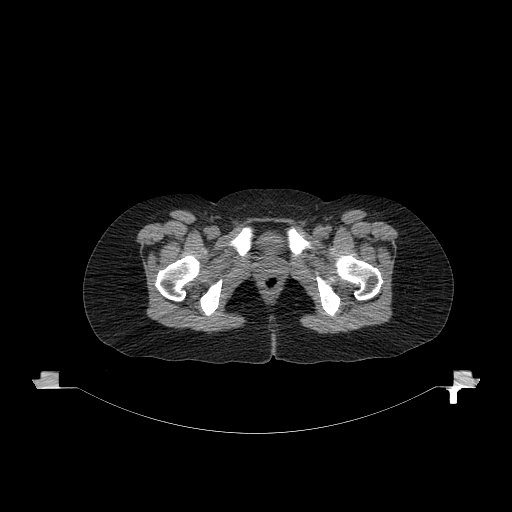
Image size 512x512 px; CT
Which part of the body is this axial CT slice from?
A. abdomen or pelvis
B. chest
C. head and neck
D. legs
A. abdomen or pelvis
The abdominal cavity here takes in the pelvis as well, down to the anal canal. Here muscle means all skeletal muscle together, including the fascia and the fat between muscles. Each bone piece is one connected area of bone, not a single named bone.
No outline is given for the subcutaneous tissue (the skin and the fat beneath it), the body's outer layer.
The bones appear in 6 outlined pieces: piece 1: [[346,254],[352,254],[357,259],[363,260],[371,264],[380,271],[383,282],[380,287],[379,292],[372,298],[366,300],[356,299],[354,296],[354,290],[356,288],[356,286],[351,282],[341,279],[334,272],[335,271],[334,266],[335,258],[338,255],[345,255]]; piece 2: [[188,254],[195,256],[199,261],[200,263],[200,270],[199,273],[193,280],[188,282],[185,285],[184,288],[186,291],[186,295],[185,298],[182,301],[174,301],[168,299],[162,295],[156,288],[154,284],[156,278],[156,275],[160,269],[164,268],[170,263]]; piece 3: [[316,272],[324,279],[327,279],[332,275],[334,276],[334,280],[331,283],[331,285],[335,292],[340,298],[340,304],[338,307],[338,309],[335,312],[333,316],[330,316],[327,314],[321,305],[320,297],[319,296],[319,291],[317,286],[317,281],[315,279]]; piece 4: [[220,278],[222,279],[222,283],[221,284],[221,291],[220,292],[220,298],[219,299],[219,304],[218,305],[218,307],[212,314],[208,316],[207,315],[205,315],[203,310],[201,308],[199,300],[201,296],[207,290],[208,287],[211,284],[212,284]]; piece 5: [[245,226],[252,226],[254,229],[254,231],[253,232],[253,237],[251,240],[251,247],[250,248],[250,249],[246,252],[246,254],[245,255],[244,255],[243,256],[241,256],[232,246],[230,246],[229,245],[228,245],[228,243],[241,230],[241,229]]; piece 6: [[290,226],[293,226],[299,233],[302,234],[303,236],[308,241],[309,241],[311,243],[313,248],[311,249],[304,249],[299,254],[297,255],[294,255],[294,254],[290,251],[290,249],[288,246],[288,240],[287,239],[287,235],[286,234],[286,228]]. The muscle is outlined by [[171,208],[190,208],[210,223],[224,226],[248,217],[283,217],[327,224],[348,208],[366,208],[380,212],[392,222],[398,232],[392,274],[392,316],[380,325],[347,332],[318,333],[298,321],[300,316],[312,310],[313,301],[300,283],[290,276],[273,305],[263,302],[256,287],[248,279],[234,289],[226,306],[229,311],[237,312],[247,319],[244,326],[209,333],[164,326],[146,314],[147,284],[135,239],[138,231],[150,219]]; inner edges: [[266,222],[282,223],[288,227],[293,226],[313,247],[304,249],[297,255],[292,252],[288,254],[289,263],[286,274],[275,297],[270,301],[263,294],[258,279],[252,270],[252,252],[248,250],[245,255],[241,256],[232,246],[228,245],[243,227]], then [[346,254],[352,254],[357,259],[363,260],[371,264],[380,271],[383,282],[380,287],[379,292],[372,298],[366,300],[356,299],[354,296],[354,290],[356,288],[356,286],[351,282],[341,279],[334,272],[335,271],[334,266],[335,258],[338,255],[345,255]], then [[188,254],[195,256],[199,261],[200,263],[200,270],[199,273],[193,280],[188,282],[185,285],[184,288],[186,291],[186,295],[185,298],[182,301],[174,301],[168,299],[162,295],[156,288],[154,284],[156,278],[156,275],[160,269],[164,268],[170,263]], then [[316,272],[324,279],[327,279],[332,275],[334,276],[334,280],[331,283],[331,285],[335,292],[340,298],[340,304],[338,307],[338,309],[335,312],[333,316],[330,316],[327,314],[321,305],[320,297],[319,296],[319,291],[317,286],[317,281],[315,279]], then [[220,278],[222,279],[222,283],[221,284],[221,291],[220,292],[220,298],[219,299],[219,304],[218,305],[218,307],[212,314],[208,316],[207,315],[205,315],[203,310],[201,308],[199,300],[201,296],[207,290],[208,287],[211,284],[212,284]]. The abdominal cavity is outlined by [[266,222],[282,223],[287,226],[285,228],[285,234],[287,246],[290,252],[288,254],[289,263],[286,274],[282,280],[279,290],[275,297],[270,301],[263,294],[258,279],[252,270],[253,268],[252,252],[250,250],[252,247],[252,240],[255,231],[253,224]]. The torso is outlined by [[283,187],[324,200],[345,193],[379,195],[416,214],[439,241],[453,273],[451,309],[435,338],[394,357],[312,364],[274,357],[261,364],[132,357],[98,339],[84,311],[83,277],[94,246],[121,213],[140,201],[166,194],[188,192],[216,201],[241,189]].